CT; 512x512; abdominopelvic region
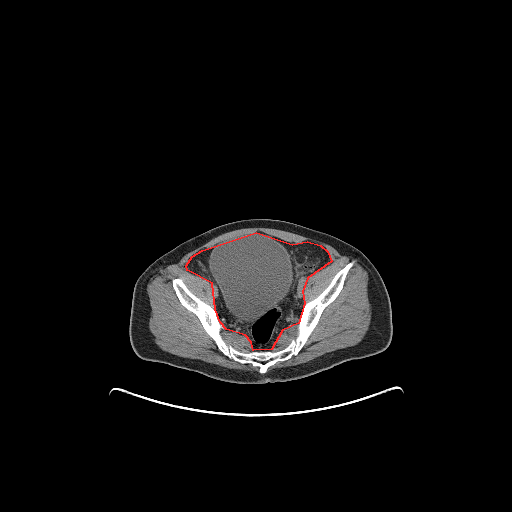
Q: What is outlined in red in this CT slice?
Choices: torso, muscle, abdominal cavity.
A: red: abdominal cavity.
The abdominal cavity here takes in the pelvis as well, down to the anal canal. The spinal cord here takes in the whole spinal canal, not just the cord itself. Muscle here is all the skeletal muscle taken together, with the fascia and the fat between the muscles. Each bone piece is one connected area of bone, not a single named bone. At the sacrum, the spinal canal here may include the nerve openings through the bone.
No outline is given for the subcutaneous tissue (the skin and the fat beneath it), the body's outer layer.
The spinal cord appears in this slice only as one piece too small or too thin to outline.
{"abdominal_cavity":[[[256,232],[292,244],[307,241],[320,245],[327,251],[331,261],[307,278],[302,291],[304,303],[298,323],[282,330],[271,349],[253,350],[251,342],[245,335],[226,329],[220,322],[215,309],[212,283],[187,270],[186,265],[192,256],[202,250]]],"bones":[[[352,260],[354,264],[340,292],[325,307],[303,347],[297,354],[269,366],[264,373],[259,372],[258,366],[238,362],[220,351],[197,316],[182,305],[172,285],[172,279],[180,278],[214,308],[222,324],[219,335],[237,352],[277,351],[297,336],[304,304]]],"muscle":[[[254,227],[278,229],[316,239],[332,246],[340,254],[356,258],[361,262],[368,275],[367,295],[371,320],[368,330],[360,342],[300,364],[267,371],[274,364],[284,362],[297,355],[304,347],[326,307],[341,292],[355,261],[350,260],[334,274],[329,283],[316,296],[304,302],[303,291],[308,278],[332,261],[328,251],[322,245],[311,241],[292,243],[262,231],[220,241],[212,247],[196,252],[189,258],[185,269],[211,283],[214,307],[196,295],[180,277],[171,279],[172,288],[179,302],[196,316],[217,349],[238,363],[258,367],[258,372],[228,368],[178,356],[162,350],[154,342],[154,336],[148,325],[151,315],[147,293],[149,279],[160,267],[178,262],[188,252],[223,233]],[[223,327],[224,327],[225,329],[228,331],[233,332],[241,336],[245,336],[247,340],[250,342],[252,350],[249,352],[243,352],[242,351],[237,351],[235,348],[234,348],[230,344],[227,343],[225,341],[223,337],[220,335],[220,331]],[[296,324],[298,325],[296,336],[294,338],[292,338],[290,340],[290,341],[284,347],[280,349],[278,349],[277,350],[272,350],[272,349],[276,345],[277,343],[277,337],[278,335],[282,331],[288,328],[291,325],[295,325]]],"torso":[[[247,218],[272,218],[300,224],[337,237],[364,253],[379,272],[389,295],[393,332],[387,348],[380,353],[352,359],[307,377],[263,384],[239,384],[221,381],[197,372],[140,358],[131,346],[129,335],[133,288],[140,274],[153,261],[184,241],[218,225]]]}